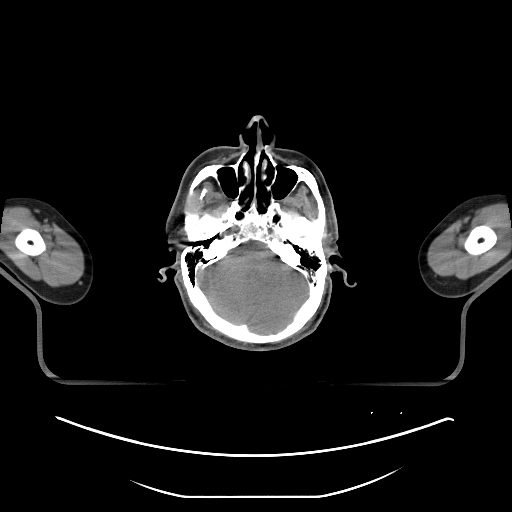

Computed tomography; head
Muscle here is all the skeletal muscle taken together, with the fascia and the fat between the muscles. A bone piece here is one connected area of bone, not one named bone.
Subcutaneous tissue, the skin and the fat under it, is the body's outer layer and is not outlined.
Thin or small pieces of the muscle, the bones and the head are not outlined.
{"brain":[[[249,241],[257,241],[263,244],[269,253],[274,256],[273,261],[275,264],[285,264],[300,273],[308,287],[307,297],[295,311],[291,320],[274,332],[260,333],[251,330],[244,322],[234,323],[226,319],[214,309],[200,286],[200,275],[207,267]]],"head":[{"outer":[[254,115],[266,120],[276,147],[306,154],[321,170],[342,255],[330,260],[358,283],[345,286],[334,271],[317,328],[291,346],[256,353],[225,345],[194,326],[172,268],[165,270],[166,281],[156,279],[175,260],[164,227],[185,169],[210,147],[237,146]],"holes":[[[278,166],[282,166],[286,169],[289,169],[291,170],[296,176],[295,181],[291,186],[290,189],[287,192],[287,193],[280,199],[276,199],[274,197],[272,193],[272,186],[274,184],[276,180],[276,178],[277,177],[277,174],[278,173],[278,169],[277,167]],[[239,166],[241,166],[242,169],[243,180],[237,187],[237,193],[236,195],[234,197],[231,198],[228,197],[224,193],[224,191],[222,189],[222,185],[219,178],[218,171],[220,169],[223,168],[231,168],[233,169],[234,171],[234,176],[238,183],[239,182]],[[262,152],[264,152],[264,155],[265,156],[261,160],[260,162],[260,173],[259,174],[259,179],[263,187],[266,190],[266,191],[269,193],[269,203],[265,206],[265,211],[262,213],[258,210],[258,208],[257,207],[257,168],[260,163],[260,156]],[[257,122],[257,126],[256,127],[256,141],[254,147],[254,153],[252,157],[253,164],[252,167],[251,167],[248,161],[245,158],[249,150],[249,146],[244,140],[243,138],[243,134],[245,131],[248,129],[250,129],[252,127],[253,124]],[[252,181],[252,198],[249,204],[249,206],[245,210],[243,210],[243,207],[246,203],[246,202],[248,200],[248,198],[246,197],[245,199],[242,202],[242,203],[240,203],[240,197],[241,196],[241,194],[242,192],[246,188],[247,188],[248,186],[250,185]],[[260,119],[264,123],[264,124],[267,127],[267,128],[270,131],[270,132],[271,133],[271,138],[270,139],[270,141],[268,143],[264,143],[263,142],[263,141],[262,140],[262,131],[261,130],[261,129],[260,128]],[[269,164],[270,164],[272,166],[272,167],[273,168],[273,173],[272,174],[272,178],[271,179],[270,182],[267,183],[266,182],[267,181],[267,179],[268,178],[268,173],[267,172],[267,170],[268,169],[268,166],[269,165]]]}],"muscle":[{"outer":[[15,205],[26,206],[31,209],[37,209],[43,212],[68,233],[79,244],[84,255],[84,273],[81,284],[79,284],[75,287],[51,287],[46,285],[44,283],[34,281],[26,276],[0,250],[0,228],[3,221],[3,211],[5,208],[9,206],[14,206]],"hole":[[24,227],[28,227],[29,228],[32,228],[33,229],[35,229],[40,233],[46,246],[46,248],[43,252],[42,252],[38,255],[35,255],[34,256],[32,256],[31,255],[28,255],[22,252],[17,248],[17,247],[15,245],[15,237],[16,235]]},{"outer":[[499,202],[505,204],[508,211],[509,218],[511,220],[511,252],[501,262],[486,272],[475,275],[462,281],[461,280],[447,280],[434,276],[427,266],[427,260],[426,259],[426,254],[428,247],[434,238],[457,219],[468,214],[470,210],[474,210],[489,204]],"hole":[[482,224],[486,224],[494,230],[497,236],[497,239],[496,240],[496,242],[492,247],[491,247],[486,251],[478,255],[472,255],[471,254],[469,254],[464,249],[464,242],[467,236],[469,234],[470,231],[474,227],[478,225],[481,225]]},{"outer":[[241,150],[240,154],[233,162],[212,163],[200,168],[193,177],[188,188],[186,202],[189,203],[195,188],[205,179],[209,177],[213,178],[223,193],[228,198],[230,198],[226,208],[224,210],[220,210],[218,207],[213,211],[214,213],[199,211],[196,209],[194,211],[185,209],[183,212],[183,230],[185,235],[179,233],[177,230],[178,210],[187,185],[195,169],[205,161],[218,156],[227,156],[231,153]],"hole":[[203,188],[206,188],[206,192],[205,193],[205,194],[204,195],[204,196],[202,198],[202,199],[201,200],[199,200],[199,196],[200,195],[200,194],[201,193],[201,191],[202,190],[202,189]]},[[301,182],[303,182],[307,186],[315,199],[317,213],[316,214],[316,216],[314,218],[308,218],[305,215],[301,214],[296,210],[293,210],[292,209],[285,210],[281,207],[280,201],[282,200],[285,200],[296,189],[299,183]],[[312,172],[317,177],[318,183],[321,188],[331,220],[332,239],[329,245],[329,249],[326,253],[323,246],[323,238],[328,235],[326,232],[326,224],[327,223],[326,222],[327,221],[326,220],[326,208],[324,200],[321,195],[317,180]],[[272,152],[274,152],[276,154],[282,157],[284,157],[285,158],[290,158],[291,159],[297,159],[301,161],[303,163],[305,167],[302,165],[299,165],[298,164],[295,164],[294,163],[288,163],[287,164],[283,164],[282,163],[280,163],[274,158]],[[322,298],[322,302],[321,303],[321,305],[319,307],[319,310],[316,314],[316,315],[311,321],[309,326],[307,328],[300,332],[297,335],[293,337],[290,337],[292,335],[299,331],[303,327],[303,326],[315,314],[321,303]],[[193,307],[195,308],[200,313],[200,314],[204,318],[204,319],[211,326],[211,327],[213,329],[214,329],[216,331],[222,334],[220,334],[210,329],[208,327],[207,327],[202,322],[200,318],[196,314],[196,313],[194,311],[194,309]]],"bones":[{"outer":[[257,140],[271,145],[272,156],[280,164],[302,166],[314,176],[325,208],[327,235],[322,238],[322,246],[330,266],[314,314],[289,337],[267,343],[239,341],[213,328],[190,302],[180,268],[186,235],[185,210],[211,214],[218,208],[224,211],[244,180],[241,165],[238,182],[233,168],[220,168],[217,174],[221,187],[209,176],[194,188],[187,202],[194,177],[207,165],[233,163],[246,144],[248,150],[244,158],[252,168]],"holes":[[[249,241],[257,241],[263,244],[269,253],[274,256],[273,261],[275,264],[285,264],[300,273],[308,287],[307,297],[295,311],[291,320],[274,332],[260,333],[251,330],[244,322],[234,323],[226,319],[214,309],[200,286],[200,275],[207,267]],[[301,182],[303,182],[307,186],[315,199],[317,213],[316,214],[316,216],[314,218],[308,218],[305,215],[301,214],[296,210],[293,210],[292,209],[285,210],[281,207],[280,201],[282,200],[285,200],[296,189],[299,183]],[[278,166],[282,166],[286,169],[289,169],[291,170],[296,176],[295,181],[291,186],[290,189],[287,192],[287,193],[280,199],[276,199],[274,197],[272,193],[272,186],[274,184],[276,180],[276,178],[277,177],[277,174],[278,173],[278,169],[277,167]],[[262,152],[264,152],[264,155],[265,156],[261,160],[260,162],[260,173],[259,174],[259,179],[263,187],[266,190],[266,191],[269,193],[269,203],[265,206],[265,211],[262,213],[258,210],[258,208],[257,207],[257,168],[260,163],[260,156]],[[252,181],[252,198],[249,204],[249,206],[245,210],[243,210],[243,207],[246,203],[246,202],[248,200],[248,198],[246,197],[245,199],[242,202],[242,203],[240,203],[240,197],[241,196],[241,194],[242,192],[246,188],[247,188],[248,186],[250,185]],[[269,164],[270,164],[272,166],[272,167],[273,168],[273,173],[272,174],[272,178],[271,179],[270,182],[267,183],[266,182],[267,181],[267,179],[268,178],[268,173],[267,172],[267,170],[268,169],[268,166],[269,165]]]},[[482,224],[486,224],[494,230],[497,236],[497,239],[496,240],[496,242],[492,247],[491,247],[486,251],[478,255],[472,255],[471,254],[469,254],[464,249],[464,242],[467,236],[469,234],[470,231],[474,227],[478,225],[481,225]],[[24,227],[28,227],[29,228],[32,228],[33,229],[35,229],[40,233],[46,246],[46,248],[43,252],[42,252],[38,255],[35,255],[34,256],[32,256],[31,255],[28,255],[22,252],[17,248],[17,247],[15,245],[15,237],[16,235]]],"left_arm":[[[488,193],[503,193],[506,197],[508,215],[511,220],[511,262],[485,284],[481,287],[479,287],[476,290],[472,291],[468,295],[465,295],[457,298],[446,298],[433,293],[428,289],[422,281],[418,269],[417,255],[422,241],[432,228],[458,204],[471,197]]],"right_arm":[[[14,196],[28,196],[37,198],[49,203],[56,208],[68,220],[86,241],[90,249],[93,259],[93,280],[89,291],[80,301],[70,305],[58,305],[45,301],[43,299],[37,297],[0,265],[0,228],[3,221],[4,204],[8,197],[13,197]]]}